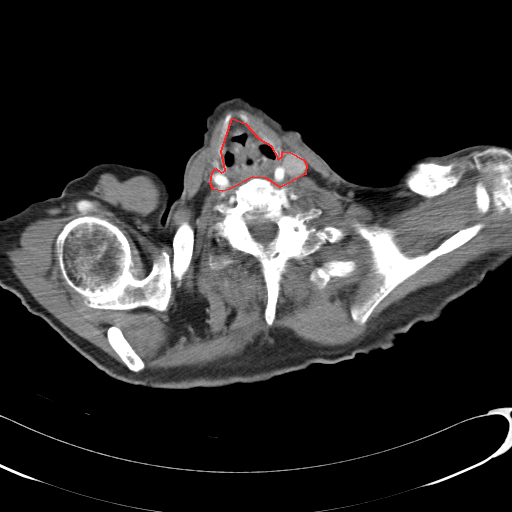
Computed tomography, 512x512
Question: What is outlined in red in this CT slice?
Answer: red: central area in front of the spine.
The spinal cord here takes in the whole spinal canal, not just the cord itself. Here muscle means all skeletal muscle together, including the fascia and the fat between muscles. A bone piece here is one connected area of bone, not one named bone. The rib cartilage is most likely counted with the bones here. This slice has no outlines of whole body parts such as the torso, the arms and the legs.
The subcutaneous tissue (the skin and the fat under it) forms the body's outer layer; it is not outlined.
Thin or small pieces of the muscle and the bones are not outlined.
The central area in front of the spine is outlined by (232, 118) (245, 123) (258, 138) (270, 145) (278, 159) (282, 156) (282, 151) (290, 152) (303, 159) (306, 164) (305, 174) (280, 187) (266, 178) (252, 177) (229, 189) (222, 191) (213, 189) (210, 184) (212, 172) (215, 168) (221, 172) (225, 170) (221, 151). The muscle is outlined by (234, 107) (297, 137) (340, 182) (371, 195) (404, 183) (426, 198) (445, 194) (473, 163) (426, 162) (483, 150) (472, 158) (479, 174) (474, 203) (481, 214) (492, 206) (511, 214) (511, 252) (487, 253) (411, 293) (357, 341) (320, 345) (276, 327) (235, 356) (142, 370) (144, 361) (114, 324) (106, 337) (122, 365) (44, 308) (14, 273) (7, 251) (27, 222) (90, 191) (104, 172) (155, 181) (161, 204) (151, 231) (167, 237) (192, 161) (219, 116), around holes outlined by (227, 114) (245, 114) (282, 151) (303, 159) (305, 174) (283, 186) (297, 195) (291, 207) (297, 213) (319, 208) (321, 215) (306, 221) (307, 227) (332, 226) (345, 234) (289, 262) (271, 325) (256, 259) (208, 234) (224, 217) (214, 206) (244, 183) (222, 191) (210, 184) and by (86, 215) (105, 219) (118, 227) (128, 241) (140, 279) (150, 272) (162, 252) (172, 264) (172, 239) (176, 229) (184, 221) (191, 225) (194, 231) (191, 259) (181, 280) (171, 278) (165, 311) (148, 306) (126, 310) (93, 308) (67, 283) (60, 269) (56, 239) (68, 222) and by (477, 223) (482, 223) (483, 227) (474, 236) (457, 248) (436, 257) (398, 284) (379, 302) (363, 324) (353, 320) (351, 308) (362, 306) (383, 281) (375, 273) (372, 252) (368, 242) (358, 232) (360, 228) (393, 230) (395, 241) (401, 250) (413, 256) (437, 247) (459, 230) and by (331, 260) (338, 260) (339, 261) (353, 260) (356, 264) (356, 267) (352, 272) (346, 276) (344, 276) (343, 277) (340, 277) (339, 276) (332, 276) (326, 285) (323, 288) (319, 289) (309, 280) (309, 274) (310, 272) (317, 266) (321, 265) (326, 261) (330, 261) and by (209, 257) (212, 257) (214, 260) (222, 260) (225, 258) (229, 258) (230, 259) (231, 259) (232, 260) (232, 261) (230, 263) (229, 263) (228, 264) (226, 264) (224, 266) (223, 266) (222, 267) (218, 267) (217, 268) (210, 268) (210, 265) (209, 264). The bones appear in 9 outlined pieces: piece 1: (86, 215) (105, 219) (118, 227) (128, 241) (140, 279) (150, 272) (162, 252) (172, 264) (172, 239) (176, 229) (184, 221) (191, 225) (194, 231) (191, 259) (181, 280) (171, 278) (165, 311) (148, 306) (126, 310) (93, 308) (67, 283) (60, 269) (56, 239) (68, 222); piece 2: (252, 178) (266, 179) (297, 195) (290, 205) (297, 213) (321, 209) (321, 215) (305, 222) (308, 228) (332, 226) (345, 234) (289, 262) (280, 282) (271, 325) (264, 317) (267, 290) (256, 259) (233, 249) (225, 238) (208, 234) (208, 229) (224, 217) (214, 206); inner edge: (260, 217) (264, 219) (268, 219) (270, 220) (272, 222) (273, 222) (276, 225) (277, 227) (276, 234) (274, 238) (268, 243) (266, 248) (260, 242) (258, 242) (255, 240) (255, 239) (252, 236) (250, 232) (250, 229) (249, 228) (249, 224) (252, 221); piece 3: (477, 223) (482, 223) (483, 227) (474, 236) (457, 248) (436, 257) (398, 284) (379, 302) (363, 324) (353, 320) (351, 308) (362, 306) (383, 281) (375, 273) (372, 252) (368, 242) (358, 232) (360, 228) (393, 230) (395, 241) (401, 250) (413, 256) (437, 247) (459, 230); piece 4: (492, 146) (503, 147) (511, 152) (511, 213) (508, 210) (506, 210) (502, 213) (499, 213) (492, 205) (486, 213) (481, 213) (478, 210) (475, 203) (474, 189) (476, 183) (480, 180) (480, 174) (479, 173) (479, 170) (474, 167) (474, 160) (473, 158) (478, 152) (481, 152); piece 5: (421, 162) (425, 162) (426, 163) (431, 162) (439, 165) (448, 165) (461, 162) (470, 162) (472, 163) (472, 168) (466, 170) (460, 176) (457, 184) (455, 186) (449, 188) (445, 193) (433, 197) (426, 197) (412, 191) (406, 185) (405, 182) (406, 179) (416, 168) (416, 165); piece 6: (114, 325) (118, 326) (121, 329) (124, 337) (130, 344) (135, 352) (143, 361) (144, 363) (144, 368) (140, 371) (132, 371) (130, 370) (123, 362) (118, 354) (110, 345) (108, 341) (108, 338) (107, 337) (107, 331) (109, 327) (113, 326); piece 7: (331, 260) (338, 260) (339, 261) (353, 260) (356, 264) (356, 267) (352, 272) (346, 276) (344, 276) (343, 277) (340, 277) (339, 276) (332, 276) (326, 285) (323, 288) (319, 289) (309, 280) (309, 274) (310, 272) (317, 266) (321, 265) (326, 261) (330, 261); piece 8: (240, 114) (245, 114) (257, 129) (263, 135) (264, 135) (266, 138) (270, 140) (281, 150) (281, 156) (279, 158) (276, 156) (275, 151) (271, 147) (271, 145) (263, 141) (258, 137) (247, 126) (246, 123) (239, 118) (239, 115); piece 9: (227, 114) (231, 114) (232, 117) (227, 126) (224, 141) (220, 151) (221, 152) (221, 158) (223, 161) (223, 165) (224, 166) (224, 170) (221, 171) (218, 170) (215, 167) (215, 162) (218, 161) (217, 157) (219, 150) (219, 142) (221, 138) (221, 133) (224, 119). The spinal cord is outlined by (260, 217) (264, 219) (268, 219) (270, 220) (272, 222) (273, 222) (276, 225) (277, 227) (276, 234) (274, 238) (268, 243) (266, 248) (260, 242) (258, 242) (255, 240) (255, 239) (252, 236) (250, 232) (250, 229) (249, 228) (249, 224) (252, 221).